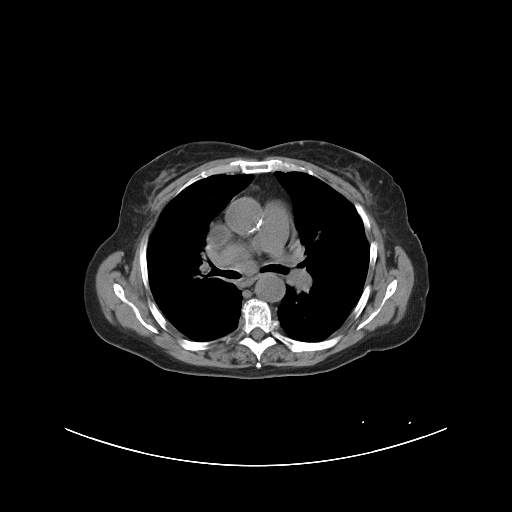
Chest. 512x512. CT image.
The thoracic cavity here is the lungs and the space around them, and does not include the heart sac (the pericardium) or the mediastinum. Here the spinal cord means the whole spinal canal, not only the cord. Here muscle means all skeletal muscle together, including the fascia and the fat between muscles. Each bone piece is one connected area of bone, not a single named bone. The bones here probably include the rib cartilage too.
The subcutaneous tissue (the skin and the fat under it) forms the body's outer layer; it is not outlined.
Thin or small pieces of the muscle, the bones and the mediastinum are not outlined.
thoracic cavity 1: 276 171; 303 172; 339 192; 353 204; 369 243; 367 273; 357 302; 342 325; 330 337; 319 341; 299 340; 281 332; 280 321; 269 305; 282 300; 287 289; 285 280; 287 270; 294 268; 304 259; 305 251; 295 225; 291 197; 277 179
thoracic cavity 2: 241 173; 252 174; 251 181; 236 193; 211 220; 203 248; 207 259; 214 266; 239 275; 237 285; 241 292; 242 303; 238 325; 234 331; 215 339; 192 340; 186 338; 167 320; 154 300; 147 264; 149 238; 164 207; 185 188; 213 175
muscle: 237 156; 254 159; 284 156; 304 160; 337 175; 362 195; 384 237; 387 263; 389 265; 392 263; 394 247; 399 245; 413 266; 414 283; 405 313; 397 323; 377 328; 354 344; 313 365; 262 366; 260 360; 263 352; 278 342; 293 353; 325 350; 337 344; 343 336; 340 333; 331 336; 349 316; 357 319; 369 299; 371 285; 365 282; 368 269; 375 265; 378 256; 377 241; 372 239; 369 242; 366 235; 371 224; 363 206; 357 201; 352 203; 309 167; 280 158; 255 160; 237 158; 201 170; 173 192; 171 199; 161 210; 149 237; 146 234; 139 245; 138 263; 141 280; 153 298; 153 300; 147 299; 147 305; 159 326; 166 331; 168 322; 170 323; 185 337; 180 337; 177 340; 178 344; 189 351; 204 351; 220 341; 227 344; 236 342; 254 354; 255 366; 223 368; 186 363; 168 354; 149 339; 108 321; 101 309; 95 288; 95 276; 100 263; 117 250; 124 252; 126 261; 132 260; 136 240; 146 221; 147 204; 163 188; 203 163 with holes at 114 283; 117 283; 119 284; 123 288; 125 297; 129 301; 134 304; 134 305; 138 309; 140 316; 142 319; 146 323; 153 326; 158 331; 157 333; 155 333; 145 327; 136 317; 133 309; 128 304; 122 301; 116 295; 113 289; 113 284 and at 394 279; 396 279; 397 281; 396 288; 394 292; 384 302; 380 310; 370 321; 365 324; 361 328; 359 329; 356 329; 356 327; 361 322; 364 321; 371 314; 371 313; 378 307; 383 297; 385 295; 386 288; 388 284
torso: 303 139; 324 140; 359 152; 390 173; 401 187; 408 221; 421 242; 429 273; 424 317; 410 339; 325 372; 244 379; 168 371; 96 334; 84 310; 84 274; 96 249; 115 230; 124 189; 137 169; 158 154; 192 141; 218 140; 261 149
spinal cord: 255 328; 260 328; 263 331; 263 332; 264 333; 264 336; 260 340; 255 340; 251 336; 251 332; 252 331; 252 330; 253 329; 254 329
bones 1: 251 298; 266 302; 279 321; 279 331; 292 339; 319 342; 342 336; 333 346; 313 351; 293 352; 278 341; 262 352; 259 368; 255 354; 236 341; 220 340; 204 350; 185 349; 178 342; 180 338; 205 342; 234 332; 239 325; 242 304, around a hole outlined by 255 328; 260 328; 263 331; 263 332; 264 333; 264 336; 260 340; 255 340; 251 336; 251 332; 252 331; 252 330; 253 329; 254 329
bones 2: 237 159; 243 159; 248 161; 280 159; 282 161; 291 162; 306 168; 309 168; 323 180; 306 172; 295 170; 290 171; 276 170; 259 173; 241 172; 218 173; 201 178; 191 183; 173 197; 174 192; 179 187; 201 171; 219 164; 227 164
bones 3: 114 283; 117 283; 119 284; 123 288; 125 297; 129 301; 134 304; 134 305; 138 309; 140 316; 142 319; 146 323; 153 326; 158 331; 157 333; 155 333; 145 327; 136 317; 133 309; 128 304; 122 301; 116 295; 113 289; 113 284
bones 4: 146 235; 148 237; 148 241; 147 242; 147 246; 146 247; 146 264; 147 265; 147 275; 148 276; 149 289; 146 289; 144 286; 144 284; 142 280; 142 277; 141 276; 141 270; 140 269; 140 264; 139 263; 140 245; 143 238
bones 5: 394 279; 396 279; 397 281; 396 288; 394 292; 384 302; 380 310; 370 321; 365 324; 361 328; 359 329; 356 329; 356 327; 361 322; 364 321; 371 314; 371 313; 378 307; 383 297; 385 295; 386 288; 388 284
bones 6: 367 284; 369 284; 370 285; 370 293; 369 294; 368 299; 362 311; 360 313; 359 316; 357 318; 354 318; 352 316; 350 316; 350 314; 352 310; 355 307; 356 304; 358 302; 362 294; 362 292; 364 289; 364 287; 365 285
bones 7: 148 299; 150 299; 155 303; 156 306; 158 308; 158 309; 160 311; 162 315; 166 319; 167 321; 167 324; 166 325; 166 327; 167 329; 166 330; 163 329; 160 326; 160 325; 157 322; 157 321; 153 316; 149 308; 149 306; 148 305
bones 8: 355 202; 357 202; 359 203; 362 206; 368 217; 368 219; 369 220; 369 223; 370 224; 370 228; 369 230; 366 232; 365 231; 365 228; 364 227; 364 224; 363 223; 363 221; 360 215; 358 213; 356 208; 354 206; 354 203
bones 9: 372 240; 375 240; 376 241; 376 242; 377 243; 377 256; 376 257; 376 260; 375 261; 375 263; 374 264; 374 265; 372 267; 370 267; 369 266; 369 258; 370 257; 370 242
mediastinum: 268 172; 274 172; 276 179; 290 197; 294 225; 304 251; 303 259; 286 270; 284 280; 286 289; 279 302; 268 303; 257 297; 251 297; 243 302; 238 285; 240 275; 236 271; 218 268; 208 259; 204 248; 212 220; 252 181; 253 174